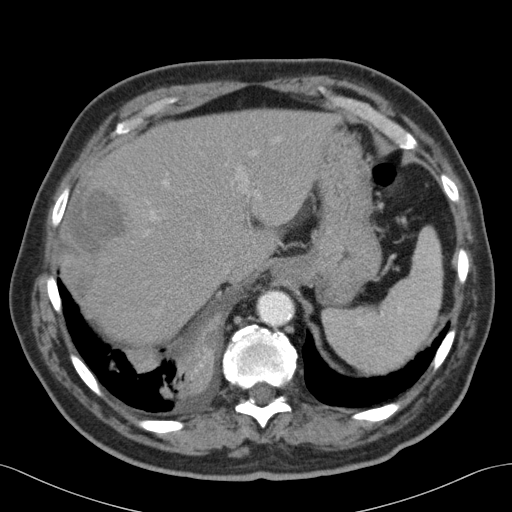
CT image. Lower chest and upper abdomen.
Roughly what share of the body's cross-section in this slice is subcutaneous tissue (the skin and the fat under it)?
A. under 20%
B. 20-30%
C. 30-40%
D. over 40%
Answer: A. under 20%
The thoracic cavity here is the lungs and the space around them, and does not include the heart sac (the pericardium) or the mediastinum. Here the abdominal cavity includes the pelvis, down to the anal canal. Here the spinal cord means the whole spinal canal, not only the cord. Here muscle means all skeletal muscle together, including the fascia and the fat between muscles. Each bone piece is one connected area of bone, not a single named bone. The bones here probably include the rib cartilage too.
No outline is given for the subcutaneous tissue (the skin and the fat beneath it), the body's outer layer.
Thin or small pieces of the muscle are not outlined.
torso: 301 57; 359 62; 409 87; 438 115; 472 176; 493 258; 495 303; 467 392; 451 416; 420 441; 381 463; 343 473; 218 481; 165 474; 123 461; 93 444; 63 417; 29 365; 11 321; 9 283; 36 192; 76 116; 117 81; 183 61
thoracic cavity 1: 58 277; 96 336; 137 347; 162 347; 174 343; 191 327; 196 317; 226 289; 240 289; 241 296; 233 305; 225 324; 227 343; 221 357; 222 375; 211 404; 197 413; 176 419; 148 418; 112 395; 100 385; 73 342; 63 314; 57 284
thoracic cavity 2: 448 320; 449 329; 441 340; 429 366; 410 387; 392 401; 381 405; 368 408; 328 405; 316 399; 308 391; 303 376; 296 372; 299 355; 301 355; 307 330; 311 334; 315 349; 332 370; 342 376; 359 379; 386 376; 400 370; 432 344
mediastinum 1: 262 279; 268 279; 275 285; 289 289; 297 297; 300 303; 301 317; 306 330; 300 355; 288 336; 281 330; 271 330; 257 323; 248 323; 241 326; 236 329; 228 341; 226 341; 226 324; 234 309; 234 305; 239 301; 242 294
mediastinum 2: 416 153; 419 153; 421 155; 422 155; 426 159; 427 159; 431 163; 431 164; 438 171; 438 172; 439 173; 439 175; 437 175; 436 174; 436 173; 426 163; 426 162; 424 160; 419 158; 418 157; 418 156; 416 154; 415 154
spinal cord: 258 382; 265 382; 269 384; 271 386; 274 387; 276 389; 276 394; 275 396; 268 403; 264 405; 259 405; 257 404; 256 403; 256 401; 255 399; 251 396; 249 396; 248 395; 248 389; 251 388; 256 383
abdominal cavity: 248 86; 342 108; 399 149; 411 150; 439 176; 458 230; 458 290; 431 344; 400 369; 359 378; 332 369; 306 329; 298 297; 268 278; 244 293; 226 288; 174 342; 137 346; 96 335; 58 276; 60 223; 70 192; 114 138
bones 1: 248 324; 257 324; 271 331; 281 331; 287 336; 298 354; 296 370; 292 378; 281 390; 292 409; 289 412; 275 413; 263 428; 252 416; 237 412; 234 409; 244 393; 235 384; 231 384; 222 372; 222 357; 231 336; 236 330, around a hole outlined by 258 382; 265 382; 269 384; 271 386; 274 387; 276 389; 276 394; 275 396; 268 403; 264 405; 259 405; 257 404; 256 403; 256 401; 255 399; 251 396; 249 396; 248 395; 248 389; 251 388; 256 383
bones 2: 319 85; 331 89; 333 93; 336 95; 349 97; 364 102; 367 102; 377 111; 393 120; 411 133; 417 141; 416 148; 414 149; 399 148; 387 136; 372 125; 371 123; 356 115; 354 115; 342 107; 333 106; 331 101; 317 89; 317 87
bones 3: 168 96; 178 96; 179 97; 179 100; 178 101; 166 106; 163 109; 151 115; 146 116; 144 118; 142 123; 127 133; 116 135; 113 137; 110 136; 110 133; 115 128; 116 124; 118 122; 129 119; 131 117; 135 116; 147 105
bones 4: 393 401; 398 401; 400 403; 400 407; 393 414; 385 419; 382 419; 378 421; 372 422; 368 420; 358 420; 357 419; 354 419; 352 418; 351 416; 354 413; 361 411; 364 409; 368 409; 373 407; 381 406; 386 403; 392 402
bones 5: 142 419; 160 419; 161 420; 170 420; 172 419; 173 420; 178 420; 179 421; 181 421; 183 422; 184 424; 183 425; 183 427; 178 430; 165 432; 164 433; 158 433; 153 431; 148 431; 138 426; 136 424; 136 422
bones 6: 71 353; 78 356; 83 361; 83 362; 92 373; 92 374; 96 379; 97 382; 99 384; 100 389; 102 392; 102 395; 101 396; 97 395; 92 390; 91 390; 79 376; 76 370; 74 368; 71 362; 71 360; 69 357; 69 355
bones 7: 453 328; 455 329; 455 336; 454 337; 454 339; 453 340; 452 345; 446 357; 444 359; 443 362; 436 370; 434 370; 433 368; 431 366; 430 366; 430 364; 442 340; 446 335; 447 332; 450 329; 452 329
bones 8: 67 186; 69 187; 69 195; 68 196; 67 203; 65 206; 65 209; 64 210; 64 212; 63 213; 61 221; 57 226; 53 226; 52 225; 52 211; 53 210; 53 207; 54 206; 54 204; 57 198; 59 196; 59 195; 61 193; 63 189
bones 9: 460 248; 463 248; 467 252; 467 254; 468 255; 468 260; 469 261; 469 267; 468 268; 468 272; 466 276; 466 279; 465 281; 462 284; 461 284; 459 282; 459 280; 458 279; 458 277; 456 273; 456 253; 458 252; 458 250
bones 10: 49 275; 53 276; 56 279; 56 284; 57 285; 57 289; 58 290; 58 292; 59 293; 59 296; 61 300; 61 308; 62 309; 62 313; 58 313; 54 309; 52 305; 52 303; 49 298; 49 296; 47 293; 47 288; 46 287; 46 279
bones 11: 442 173; 444 173; 446 175; 447 175; 455 183; 455 184; 457 187; 457 189; 458 190; 458 194; 459 195; 459 199; 457 202; 454 202; 453 201; 451 201; 446 195; 446 194; 443 189; 443 187; 442 186; 442 181; 440 178; 440 175
muscle: 306 75; 327 75; 337 80; 347 80; 349 82; 364 86; 383 96; 397 107; 402 113; 417 124; 439 144; 453 169; 463 184; 465 197; 467 202; 469 203; 469 207; 471 210; 473 219; 473 231; 475 238; 476 271; 477 272; 477 294; 478 295; 477 302; 478 313; 477 314; 476 328; 473 340; 468 349; 466 359; 458 372; 448 382; 442 391; 431 400; 426 408; 420 414; 417 415; 404 426; 390 434; 368 443; 347 449; 325 451; 318 449; 301 449; 285 444; 275 444; 274 445; 257 444; 251 448; 249 455; 241 458; 209 458; 165 451; 132 440; 122 435; 99 419; 58 381; 46 365; 42 357; 42 354; 36 344; 35 337; 32 331; 30 302; 34 280; 38 274; 41 261; 41 251; 43 248; 42 239; 45 230; 44 225; 51 198; 65 172; 71 165; 72 162; 77 158; 86 142; 102 122; 111 113; 117 110; 124 103; 137 95; 162 86; 169 86; 178 84; 191 84; 215 80; 231 80; 242 82; 266 81; 280 77; 281 78; 299 77 with a hole at 319 85; 367 102; 399 124; 417 141; 413 153; 422 155; 457 187; 458 201; 449 202; 458 248; 467 252; 469 267; 449 313; 455 336; 446 357; 436 370; 429 366; 393 399; 400 403; 393 414; 374 422; 352 418; 363 408; 319 401; 295 372; 281 390; 291 411; 275 413; 263 428; 252 416; 234 409; 244 393; 223 375; 211 404; 176 419; 183 422; 182 428; 158 433; 138 426; 137 421; 148 417; 102 385; 102 395; 97 395; 69 357; 80 354; 46 287; 49 275; 58 277; 61 225; 52 225; 57 198; 67 186; 71 192; 112 143; 110 133; 118 122; 157 100; 168 96; 179 100; 146 116; 144 124; 248 86; 331 106